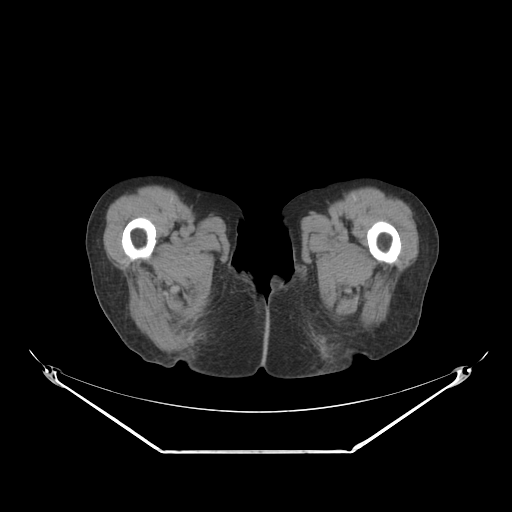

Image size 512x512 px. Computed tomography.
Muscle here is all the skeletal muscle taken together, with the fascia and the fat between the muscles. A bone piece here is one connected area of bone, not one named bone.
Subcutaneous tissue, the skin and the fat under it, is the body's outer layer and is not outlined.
Outlines (x, y in pixels):
muscle 1: (150, 184) (173, 189) (184, 203) (216, 213) (226, 225) (229, 252) (222, 265) (213, 304) (198, 322) (195, 340) (192, 345) (180, 352) (167, 353) (160, 350) (137, 329) (128, 313) (126, 281) (121, 272) (109, 261) (103, 248) (102, 238) (105, 216) (109, 205) (126, 191) with a hole at (136, 217) (145, 217) (149, 219) (155, 226) (155, 230) (156, 231) (155, 238) (156, 239) (156, 242) (155, 243) (155, 245) (151, 255) (147, 259) (137, 258) (134, 260) (131, 260) (124, 252) (122, 245) (121, 244) (121, 237) (122, 236) (122, 232) (126, 224) (130, 220)
muscle 2: (368, 185) (394, 193) (408, 204) (413, 213) (418, 232) (419, 252) (414, 263) (402, 274) (397, 284) (390, 302) (386, 321) (368, 333) (351, 333) (331, 326) (317, 310) (317, 294) (311, 271) (304, 264) (301, 257) (296, 222) (304, 212) (322, 208) (342, 193) (353, 188), around a hole outlined by (378, 220) (384, 220) (389, 222) (395, 227) (399, 234) (399, 237) (401, 242) (401, 249) (396, 260) (392, 263) (387, 263) (384, 261) (380, 261) (376, 259) (370, 253) (369, 251) (369, 248) (367, 243) (367, 238) (366, 237) (367, 230) (373, 223)
left leg: (356, 177) (374, 177) (410, 190) (425, 205) (436, 225) (439, 254) (424, 296) (418, 327) (409, 342) (381, 359) (357, 355) (353, 364) (342, 371) (302, 378) (272, 377) (263, 369) (267, 337) (265, 297) (274, 271) (287, 279) (294, 270) (292, 248) (280, 211) (303, 191)
right leg: (146, 174) (168, 175) (223, 194) (242, 209) (245, 222) (237, 228) (233, 264) (237, 269) (249, 268) (253, 272) (266, 302) (262, 368) (254, 375) (220, 378) (196, 373) (182, 361) (168, 368) (144, 361) (126, 347) (103, 313) (85, 251) (87, 221) (98, 198) (111, 185)
bones 1: (136, 217) (145, 217) (149, 219) (155, 226) (155, 230) (156, 231) (155, 238) (156, 239) (156, 242) (155, 243) (155, 245) (151, 255) (147, 259) (137, 258) (134, 260) (131, 260) (124, 252) (122, 245) (121, 244) (121, 237) (122, 236) (122, 232) (126, 224) (130, 220)
bones 2: (378, 220) (384, 220) (389, 222) (395, 227) (399, 234) (399, 237) (401, 242) (401, 249) (396, 260) (392, 263) (387, 263) (384, 261) (380, 261) (376, 259) (370, 253) (369, 251) (369, 248) (367, 243) (367, 238) (366, 237) (367, 230) (373, 223)